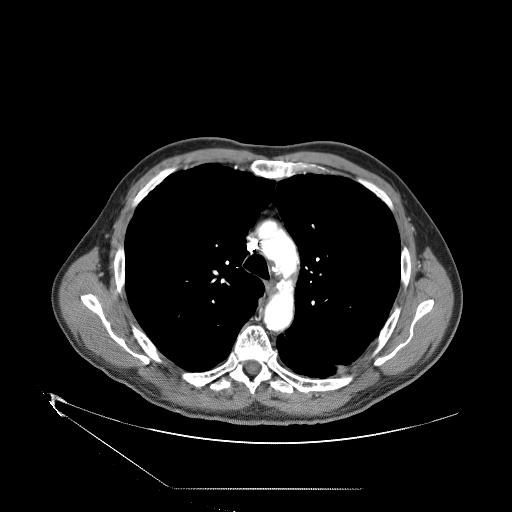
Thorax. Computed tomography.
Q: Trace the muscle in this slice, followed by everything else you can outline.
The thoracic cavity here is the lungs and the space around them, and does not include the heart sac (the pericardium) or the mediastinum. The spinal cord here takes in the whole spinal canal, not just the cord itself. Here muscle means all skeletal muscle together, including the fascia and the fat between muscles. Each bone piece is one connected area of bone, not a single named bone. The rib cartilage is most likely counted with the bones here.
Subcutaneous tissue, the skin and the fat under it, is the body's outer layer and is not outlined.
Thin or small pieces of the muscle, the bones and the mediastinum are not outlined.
A: The muscle is outlined by [[211,147],[244,149],[269,158],[254,159],[247,169],[238,163],[205,162],[183,169],[174,164],[160,169],[139,189],[131,200],[134,210],[112,265],[116,292],[122,296],[125,291],[137,322],[129,324],[131,333],[144,353],[131,349],[114,332],[96,295],[88,292],[79,297],[115,342],[144,365],[151,360],[163,364],[165,357],[183,370],[179,375],[183,381],[196,388],[208,384],[216,392],[230,388],[233,381],[244,384],[251,395],[265,381],[287,394],[295,389],[325,392],[340,389],[354,379],[355,375],[346,371],[372,343],[370,357],[376,356],[398,322],[402,307],[398,304],[391,310],[400,284],[404,289],[408,286],[411,255],[409,248],[401,245],[393,202],[375,183],[361,177],[354,180],[312,162],[271,159],[306,150],[341,156],[399,192],[415,230],[417,253],[428,246],[453,289],[449,323],[431,355],[400,375],[361,391],[333,411],[299,416],[257,402],[225,411],[181,406],[161,399],[153,385],[80,344],[59,306],[58,292],[65,272],[76,259],[98,246],[107,282],[113,225],[130,187],[168,157]], around a hole outlined by [[427,299],[432,299],[433,300],[433,306],[427,313],[416,321],[413,327],[413,334],[411,339],[404,346],[400,348],[392,357],[378,366],[374,365],[373,362],[377,357],[389,354],[400,343],[403,342],[408,337],[410,325],[415,315],[416,308],[422,301]]. The torso is outlined by [[198,136],[219,136],[266,145],[333,140],[361,148],[389,166],[437,226],[460,276],[463,290],[461,317],[438,360],[414,381],[356,415],[325,424],[246,426],[187,418],[155,406],[81,357],[67,340],[52,311],[50,293],[56,273],[128,170],[165,144]]. The thoracic cavity is outlined by [[205,163],[276,183],[298,174],[340,175],[393,214],[401,246],[398,291],[377,336],[342,375],[303,376],[279,361],[274,346],[294,319],[301,260],[273,200],[247,231],[241,261],[264,289],[223,362],[184,370],[139,325],[125,290],[129,222],[168,176]]. The spinal cord is outlined by [[250,360],[253,360],[254,361],[256,361],[260,365],[260,369],[259,370],[259,371],[256,374],[255,374],[254,375],[250,375],[249,374],[248,374],[245,371],[245,370],[244,369],[244,364],[245,363],[245,362],[246,361],[249,361]]. The bones appear in 9 outlined pieces: piece 1: [[248,321],[262,326],[277,350],[278,361],[293,373],[314,379],[353,374],[353,379],[333,390],[302,392],[295,388],[291,393],[276,390],[265,380],[253,394],[234,380],[230,387],[217,391],[208,383],[200,387],[188,383],[181,373],[204,372],[223,363]], around a hole outlined by [[250,360],[253,360],[254,361],[256,361],[260,365],[260,369],[259,370],[259,371],[256,374],[255,374],[254,375],[250,375],[249,374],[248,374],[245,371],[245,370],[244,369],[244,364],[245,363],[245,362],[246,361],[249,361]]; piece 2: [[88,293],[96,296],[111,329],[117,336],[124,340],[131,350],[140,354],[145,353],[132,333],[130,324],[137,324],[164,356],[164,362],[159,363],[151,359],[148,364],[144,364],[139,358],[129,353],[115,341],[109,335],[100,317],[82,302],[81,295]]; piece 3: [[258,159],[270,159],[271,160],[312,163],[333,170],[338,174],[314,173],[313,172],[307,172],[305,169],[303,169],[301,171],[301,173],[295,174],[290,177],[285,177],[279,180],[275,180],[271,178],[266,178],[256,175],[248,169],[250,164],[254,160]]; piece 4: [[427,299],[432,299],[433,300],[433,306],[427,313],[416,321],[413,327],[413,334],[411,339],[404,346],[400,348],[392,357],[378,366],[374,365],[373,362],[377,357],[389,354],[400,343],[403,342],[408,337],[410,325],[415,315],[416,308],[422,301]]; piece 5: [[398,305],[401,307],[401,310],[400,311],[397,322],[389,338],[384,344],[382,348],[376,354],[376,355],[375,355],[373,357],[371,357],[371,353],[376,345],[376,344],[373,342],[378,336],[381,329],[385,324],[385,322],[389,317],[394,307]]; piece 6: [[174,165],[178,166],[178,169],[176,171],[168,175],[160,183],[159,183],[153,189],[152,189],[147,194],[147,195],[146,195],[140,201],[140,202],[134,209],[132,207],[132,200],[140,189],[142,188],[149,181],[149,180],[160,170],[167,167],[173,166]]; piece 7: [[122,241],[123,241],[123,248],[124,249],[124,271],[125,272],[125,283],[124,284],[124,293],[121,295],[117,292],[117,287],[116,286],[115,276],[114,275],[114,266],[113,265],[113,261],[114,260],[114,257],[115,256],[115,253],[116,252],[117,247]]; piece 8: [[404,245],[408,248],[408,250],[409,251],[409,254],[410,255],[410,260],[411,261],[411,269],[410,270],[410,275],[409,276],[409,280],[408,281],[408,283],[407,284],[406,288],[404,288],[400,283],[400,276],[401,275],[401,250],[402,249],[402,247]]; piece 9: [[356,178],[361,178],[362,179],[367,180],[375,184],[379,188],[383,190],[391,200],[392,202],[392,204],[393,205],[393,207],[394,208],[394,211],[392,212],[388,207],[388,206],[372,191],[368,189],[365,186],[364,186],[359,182],[356,181],[355,180]]. The mediastinum is outlined by [[272,201],[277,208],[285,229],[297,248],[300,260],[299,274],[294,292],[293,319],[284,335],[279,334],[277,336],[274,345],[262,325],[249,321],[256,311],[258,300],[265,288],[256,276],[246,271],[242,266],[242,261],[246,253],[247,233],[260,213]].